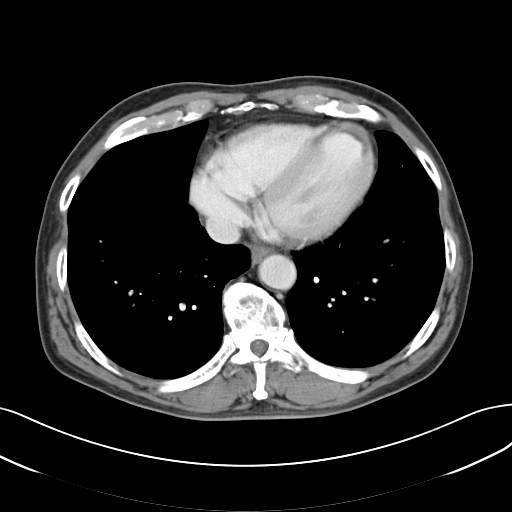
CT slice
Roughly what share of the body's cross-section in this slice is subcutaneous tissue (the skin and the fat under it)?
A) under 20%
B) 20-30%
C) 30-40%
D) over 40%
Answer: A) under 20%
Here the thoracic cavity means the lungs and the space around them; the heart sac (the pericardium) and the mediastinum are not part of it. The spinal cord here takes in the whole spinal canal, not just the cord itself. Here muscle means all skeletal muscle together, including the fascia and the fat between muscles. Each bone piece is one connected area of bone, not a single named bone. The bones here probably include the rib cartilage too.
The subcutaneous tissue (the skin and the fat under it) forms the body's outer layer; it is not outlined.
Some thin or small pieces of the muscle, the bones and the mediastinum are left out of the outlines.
Outlines (x, y in pixels):
muscle 1: (314, 84) (339, 88) (380, 104) (391, 111) (426, 145) (448, 189) (449, 209) (461, 242) (463, 268) (456, 296) (457, 308) (453, 325) (442, 346) (431, 358) (414, 371) (346, 404) (322, 409) (294, 409) (280, 407) (266, 400) (268, 361) (280, 363) (283, 368) (296, 374) (301, 372) (304, 366) (309, 372) (328, 380) (344, 384) (359, 384) (371, 376) (366, 369) (362, 368) (381, 363) (404, 347) (406, 350) (402, 358) (405, 359) (423, 345) (434, 331) (441, 314) (440, 307) (435, 304) (444, 272) (452, 272) (455, 267) (456, 243) (451, 231) (446, 226) (442, 228) (437, 193) (442, 189) (442, 181) (433, 160) (425, 150) (417, 145) (414, 145) (411, 150) (396, 133) (380, 122) (382, 115) (373, 107) (364, 103) (329, 98) (318, 92) (296, 95) (293, 104) (297, 110) (279, 107) (275, 102) (257, 102) (250, 99) (211, 112) (213, 104) (210, 100) (197, 99) (190, 101) (184, 111) (177, 108) (148, 117) (137, 115) (121, 122) (108, 134) (102, 145) (106, 151) (83, 179) (81, 181) (78, 172) (64, 186) (64, 181) (112, 123) (130, 112) (168, 97) (199, 90) (254, 94) (266, 90)
muscle 2: (63, 187) (57, 203) (61, 213) (67, 212) (67, 245) (63, 244) (57, 252) (55, 274) (59, 289) (63, 292) (68, 287) (79, 318) (73, 321) (74, 331) (88, 354) (118, 376) (122, 373) (112, 361) (134, 373) (159, 379) (156, 389) (160, 393) (181, 392) (200, 385) (220, 372) (227, 362) (235, 366) (252, 363) (255, 385) (251, 393) (255, 399) (251, 405) (214, 413) (166, 406) (96, 378) (57, 354) (50, 337) (45, 267) (56, 239) (56, 203), around a hole outlined by (233, 368) (235, 368) (236, 369) (237, 369) (236, 370) (236, 371) (233, 374) (232, 374) (231, 375) (227, 375) (226, 376) (225, 376) (223, 374) (223, 372) (224, 371) (226, 371) (227, 372) (228, 372) (231, 369) (232, 369)
thoracic cavity 1: (195, 121) (205, 121) (206, 127) (195, 155) (187, 202) (214, 242) (244, 246) (249, 252) (250, 264) (230, 279) (222, 290) (221, 311) (228, 330) (222, 335) (217, 350) (191, 372) (160, 379) (114, 362) (83, 325) (68, 286) (68, 209) (81, 182) (107, 151) (138, 137)
thoracic cavity 2: (379, 130) (390, 131) (404, 142) (436, 189) (444, 247) (444, 271) (433, 308) (420, 328) (400, 350) (370, 366) (336, 366) (308, 353) (297, 341) (293, 329) (286, 324) (286, 296) (297, 279) (293, 255) (295, 252) (323, 244) (362, 204) (379, 165) (379, 147) (375, 136)
bones 1: (237, 282) (273, 297) (285, 310) (285, 324) (296, 341) (312, 357) (370, 376) (344, 383) (304, 365) (296, 373) (268, 360) (267, 397) (258, 400) (252, 393) (253, 363) (227, 361) (200, 384) (158, 391) (161, 380) (191, 373) (218, 350) (229, 330) (223, 290); inner edge: (258, 339) (259, 339) (260, 340) (263, 340) (264, 341) (265, 341) (267, 343) (267, 349) (264, 352) (264, 353) (263, 353) (260, 356) (259, 356) (258, 355) (255, 354) (252, 351) (252, 350) (250, 347) (250, 346) (251, 345) (251, 343) (254, 340) (257, 340)
bones 2: (197, 100) (208, 100) (212, 104) (210, 110) (198, 120) (186, 123) (175, 128) (141, 135) (120, 143) (108, 150) (105, 150) (103, 145) (109, 134) (117, 126) (126, 120) (137, 116) (145, 116) (148, 118) (166, 112) (173, 112) (177, 109) (180, 109) (184, 112) (190, 102)
bones 3: (317, 93) (321, 94) (329, 99) (336, 99) (346, 103) (356, 103) (357, 104) (367, 105) (376, 110) (381, 115) (381, 120) (377, 123) (373, 123) (361, 118) (340, 118) (339, 117) (326, 115) (323, 113) (299, 111) (294, 104) (294, 99) (296, 96) (298, 95) (312, 95)
bones 4: (77, 319) (80, 320) (82, 325) (95, 344) (105, 354) (105, 355) (111, 360) (110, 364) (112, 366) (115, 366) (118, 369) (121, 373) (120, 375) (114, 373) (112, 371) (101, 365) (89, 354) (86, 349) (82, 345) (76, 334) (75, 328) (74, 327) (74, 321)
bones 5: (435, 306) (438, 306) (439, 307) (439, 309) (440, 310) (440, 314) (439, 315) (438, 321) (433, 331) (423, 344) (422, 344) (417, 349) (416, 349) (408, 356) (407, 356) (405, 358) (403, 358) (403, 355) (407, 350) (405, 346) (413, 338) (413, 337) (421, 328)
bones 6: (414, 146) (417, 146) (421, 148) (424, 151) (425, 151) (428, 154) (428, 155) (432, 160) (439, 174) (439, 177) (441, 181) (441, 189) (440, 190) (437, 190) (435, 185) (433, 183) (432, 180) (429, 177) (428, 174) (419, 161) (418, 158) (412, 151) (412, 148)
bones 7: (63, 245) (66, 245) (67, 246) (67, 286) (64, 289) (64, 290) (63, 291) (62, 291) (60, 289) (60, 288) (59, 287) (59, 285) (58, 284) (58, 281) (57, 280) (57, 275) (56, 274) (56, 260) (57, 259) (57, 255) (58, 254) (58, 252) (59, 251) (60, 248)
bones 8: (78, 173) (80, 175) (80, 183) (78, 185) (71, 199) (71, 201) (67, 209) (67, 211) (65, 212) (61, 212) (59, 209) (59, 204) (58, 203) (59, 201) (59, 198) (60, 197) (60, 195) (64, 187) (66, 185) (68, 181) (74, 175)
bones 9: (250, 100) (257, 103) (259, 102) (270, 102) (271, 103) (275, 103) (278, 105) (278, 108) (277, 109) (270, 110) (263, 107) (256, 107) (245, 112) (225, 113) (224, 114) (222, 114) (219, 112) (219, 111) (223, 108) (226, 108) (230, 106) (237, 106) (243, 102) (249, 101)
bones 10: (445, 227) (446, 227) (450, 231) (450, 232) (452, 235) (452, 237) (454, 240) (454, 242) (455, 243) (455, 264) (454, 265) (454, 267) (453, 268) (453, 269) (452, 270) (452, 271) (446, 271) (445, 270) (445, 247) (444, 246) (444, 239) (443, 238) (443, 228) (444, 228)
pericardium: (286, 113) (301, 114) (313, 118) (345, 120) (361, 124) (374, 140) (377, 157) (375, 174) (361, 204) (331, 235) (298, 250) (287, 249) (260, 241) (228, 221) (217, 218) (205, 219) (190, 203) (189, 196) (192, 172) (207, 134) (224, 127) (231, 121) (242, 118) (264, 114)
spinal cord: (258, 339) (259, 339) (260, 340) (263, 340) (264, 341) (265, 341) (267, 343) (267, 349) (264, 352) (264, 353) (263, 353) (260, 356) (259, 356) (258, 355) (255, 354) (252, 351) (252, 350) (250, 347) (250, 346) (251, 345) (251, 343) (254, 340) (257, 340)
torso: (307, 74) (359, 81) (394, 97) (423, 127) (448, 169) (472, 244) (473, 270) (459, 333) (437, 369) (399, 392) (346, 412) (311, 418) (224, 421) (181, 418) (135, 406) (57, 371) (39, 336) (35, 247) (50, 185) (83, 134) (114, 104) (156, 85) (178, 81) (243, 83)
mediastinum 1: (198, 214) (208, 221) (217, 219) (228, 222) (265, 244) (297, 251) (292, 255) (296, 268) (296, 279) (285, 296) (284, 308) (267, 291) (251, 282) (237, 281) (226, 286) (230, 280) (236, 278) (250, 267) (250, 252) (244, 245) (239, 243) (224, 244) (214, 241) (200, 223)
mediastinum 2: (280, 107) (303, 113) (323, 114) (326, 116) (339, 118) (340, 119) (361, 119) (373, 124) (383, 124) (389, 130) (379, 129) (374, 133) (378, 147) (378, 165) (375, 140) (372, 134) (361, 123) (345, 119) (336, 119) (325, 117) (313, 117) (306, 114) (289, 112) (264, 113) (242, 117) (231, 120) (224, 126) (210, 131) (204, 136) (194, 165) (197, 152) (207, 127) (207, 122) (205, 120) (199, 120) (207, 113) (218, 112) (222, 115) (245, 113) (256, 108) (263, 108) (273, 111) (277, 110)